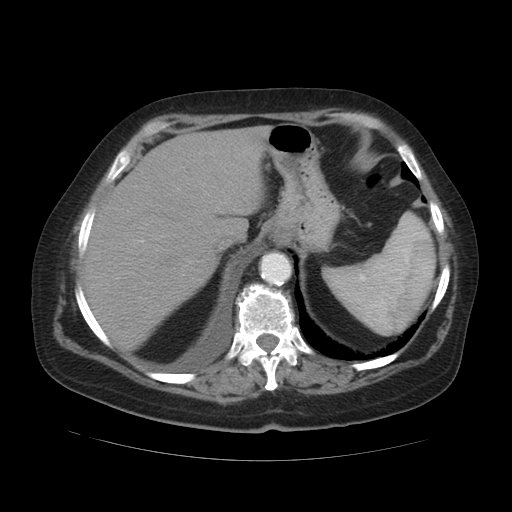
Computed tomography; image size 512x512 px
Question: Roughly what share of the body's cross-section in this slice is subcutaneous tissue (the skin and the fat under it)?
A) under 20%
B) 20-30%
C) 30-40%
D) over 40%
Answer: B) 20-30%
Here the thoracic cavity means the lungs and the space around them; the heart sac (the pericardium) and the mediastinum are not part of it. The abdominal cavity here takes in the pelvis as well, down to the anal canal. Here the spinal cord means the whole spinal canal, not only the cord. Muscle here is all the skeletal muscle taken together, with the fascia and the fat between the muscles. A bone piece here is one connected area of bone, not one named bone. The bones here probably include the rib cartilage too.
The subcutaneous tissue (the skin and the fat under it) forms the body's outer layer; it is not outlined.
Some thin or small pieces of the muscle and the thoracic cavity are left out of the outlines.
Outlines (x, y in pixels):
abdominal cavity: (250, 117) (355, 123) (374, 130) (377, 150) (397, 152) (401, 177) (420, 188) (437, 234) (440, 272) (431, 304) (385, 347) (353, 351) (306, 312) (298, 259) (286, 247) (271, 247) (241, 269) (197, 349) (167, 367) (144, 365) (112, 344) (82, 287) (96, 210) (149, 137)
spinal cord: (263, 334) (271, 334) (272, 335) (273, 335) (274, 336) (275, 336) (278, 338) (278, 342) (276, 344) (276, 345) (271, 350) (270, 350) (269, 351) (267, 351) (266, 350) (263, 349) (257, 343) (257, 342) (256, 341) (257, 338) (259, 336) (260, 336)
muscle 1: (111, 163) (105, 181) (114, 181) (97, 209) (93, 206) (86, 211) (77, 234) (78, 254) (82, 257) (81, 285) (78, 280) (75, 282) (73, 294) (90, 330) (105, 346) (111, 348) (113, 345) (154, 370) (144, 373) (154, 380) (186, 384) (196, 377) (190, 372) (211, 364) (224, 354) (226, 360) (236, 357) (245, 367) (253, 360) (258, 361) (266, 377) (264, 389) (269, 391) (225, 405) (162, 391) (135, 382) (57, 342) (53, 334) (53, 318) (67, 239)
muscle 2: (414, 152) (450, 216) (455, 234) (457, 295) (452, 322) (442, 344) (423, 363) (353, 390) (309, 395) (295, 390) (271, 391) (278, 387) (276, 369) (280, 361) (284, 359) (295, 366) (300, 353) (314, 355) (316, 350) (331, 358) (361, 361) (350, 365) (358, 372) (393, 362) (430, 307) (433, 311) (444, 297) (451, 276) (450, 264) (446, 262) (441, 269) (440, 262) (438, 234) (444, 232) (444, 219) (436, 202) (429, 200) (428, 206) (420, 187) (423, 177)
muscle 3: (327, 107) (340, 107) (347, 110) (360, 110) (375, 114) (407, 142) (397, 142) (395, 149) (383, 136) (376, 131) (383, 126) (382, 122) (378, 118) (360, 113) (340, 111) (330, 112) (326, 116) (329, 118) (337, 118) (342, 120) (314, 120) (305, 118) (275, 119) (261, 116) (250, 116) (204, 126) (165, 130) (161, 132) (159, 132) (168, 127) (171, 123) (165, 120) (157, 120) (142, 127) (121, 149) (144, 122) (163, 114) (176, 112) (190, 114) (292, 112)
bones 1: (253, 282) (279, 289) (290, 298) (295, 309) (295, 324) (304, 340) (314, 350) (314, 354) (300, 352) (295, 365) (281, 359) (275, 369) (277, 387) (270, 391) (265, 389) (267, 377) (258, 360) (253, 359) (245, 366) (236, 356) (225, 358) (236, 329) (235, 299) (246, 284) with a hole at (263, 334) (271, 334) (272, 335) (273, 335) (274, 336) (275, 336) (278, 338) (278, 342) (276, 344) (276, 345) (271, 350) (270, 350) (269, 351) (267, 351) (266, 350) (263, 349) (257, 343) (257, 342) (256, 341) (257, 338) (259, 336) (260, 336)
bones 2: (157, 121) (169, 122) (170, 123) (169, 125) (158, 132) (144, 137) (139, 141) (137, 143) (136, 147) (132, 153) (132, 155) (127, 165) (124, 169) (114, 180) (110, 182) (107, 182) (106, 181) (106, 177) (118, 152) (123, 149) (142, 128) (150, 123) (156, 122)
bones 3: (77, 281) (79, 282) (82, 288) (85, 299) (95, 319) (111, 343) (111, 347) (109, 347) (105, 345) (95, 335) (95, 334) (91, 330) (85, 321) (79, 309) (79, 307) (76, 301) (76, 298) (74, 294) (74, 289) (75, 288) (75, 285)
bones 4: (333, 112) (340, 112) (341, 113) (354, 113) (355, 114) (360, 114) (365, 116) (370, 116) (371, 117) (378, 119) (381, 122) (382, 126) (378, 129) (374, 129) (373, 128) (366, 127) (357, 122) (350, 122) (349, 121) (345, 121) (337, 117) (329, 117) (327, 116) (327, 115)
bones 5: (149, 371) (152, 371) (153, 372) (164, 372) (165, 373) (194, 373) (195, 374) (195, 377) (191, 381) (189, 381) (186, 383) (183, 383) (182, 384) (178, 384) (177, 383) (169, 383) (168, 382) (164, 382) (163, 381) (160, 381) (159, 380) (154, 379) (146, 375) (145, 373)
bones 6: (93, 207) (95, 208) (95, 214) (89, 231) (89, 235) (87, 239) (87, 243) (85, 247) (85, 250) (83, 252) (83, 254) (80, 256) (79, 254) (79, 250) (78, 249) (78, 241) (79, 240) (78, 234) (80, 230) (81, 222) (87, 211)
bones 7: (397, 143) (406, 143) (411, 148) (413, 152) (413, 154) (415, 157) (415, 159) (417, 162) (417, 164) (419, 167) (420, 172) (421, 173) (421, 176) (422, 177) (420, 180) (418, 180) (418, 179) (410, 170) (406, 163) (403, 160) (402, 160) (399, 153) (396, 149) (396, 145)
bones 8: (399, 350) (400, 351) (400, 354) (393, 361) (385, 365) (383, 365) (376, 368) (372, 368) (371, 369) (364, 369) (359, 371) (356, 370) (351, 366) (353, 363) (361, 362) (362, 361) (366, 361) (367, 360) (371, 360) (378, 357) (383, 357) (384, 356) (392, 354)
bones 9: (446, 263) (448, 263) (450, 267) (450, 276) (449, 277) (448, 285) (443, 297) (441, 299) (437, 306) (433, 310) (431, 310) (431, 305) (434, 299) (434, 296) (435, 295) (435, 293) (438, 286) (439, 278) (440, 277) (440, 273) (441, 272) (442, 268)
bones 10: (429, 201) (433, 201) (436, 203) (441, 212) (441, 215) (442, 216) (442, 218) (443, 219) (443, 223) (444, 224) (444, 229) (443, 230) (443, 232) (441, 234) (437, 233) (436, 231) (436, 229) (435, 228) (435, 226) (434, 225) (434, 223) (431, 216) (431, 213) (430, 212)
thoracic cavity 1: (296, 281) (298, 282) (305, 312) (315, 325) (333, 341) (359, 354) (369, 355) (385, 348) (415, 324) (424, 312) (426, 313) (409, 340) (402, 347) (392, 353) (366, 360) (348, 360) (331, 357) (313, 348) (305, 340) (299, 326) (296, 324) (298, 320) (296, 316) (295, 299)
thoracic cavity 2: (237, 279) (238, 281) (237, 289) (235, 292) (234, 299) (235, 309) (231, 329) (233, 334) (231, 343) (227, 350) (211, 363) (189, 372) (156, 371) (150, 367) (167, 368) (173, 366) (181, 362) (184, 358) (189, 356) (204, 343) (216, 328) (224, 312) (227, 300)
thoracic cavity 3: (402, 161) (403, 161) (405, 163) (405, 164) (407, 166) (407, 167) (409, 169) (409, 170) (417, 179) (417, 180) (419, 183) (419, 187) (417, 187) (411, 181) (410, 181) (409, 180) (408, 180) (407, 179) (402, 177) (402, 168) (401, 167) (401, 163) (402, 162)
mediastinum 1: (271, 248) (286, 248) (293, 254) (294, 271) (295, 272) (295, 284) (294, 285) (295, 308) (292, 304) (291, 298) (286, 295) (281, 289) (273, 288) (258, 281) (246, 283) (236, 296) (239, 281) (238, 279) (240, 277) (240, 274) (242, 273) (242, 269) (255, 255) (262, 251)
mediastinum 2: (375, 130) (375, 131) (377, 132) (377, 133) (379, 134) (380, 136) (383, 137) (395, 150) (386, 150) (385, 151) (380, 151) (379, 149) (377, 149) (376, 148) (376, 146) (374, 145) (374, 142) (376, 140) (376, 138) (377, 137) (377, 135) (375, 133)
torso: (288, 86) (346, 88) (388, 103) (420, 131) (462, 196) (476, 233) (479, 277) (461, 363) (449, 387) (416, 408) (364, 423) (311, 430) (234, 433) (130, 414) (78, 394) (51, 378) (39, 363) (33, 341) (32, 261) (48, 215) (98, 142) (129, 113) (160, 98) (202, 90)